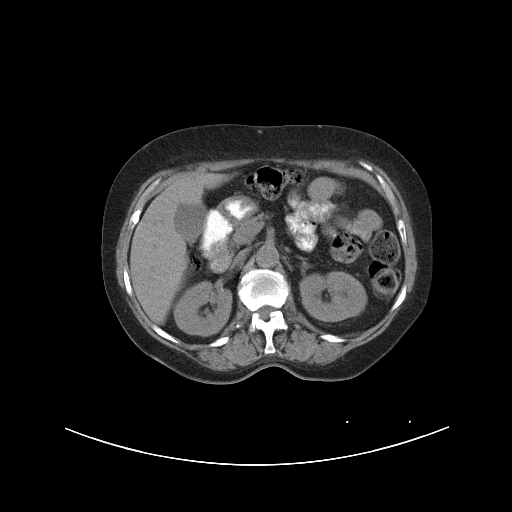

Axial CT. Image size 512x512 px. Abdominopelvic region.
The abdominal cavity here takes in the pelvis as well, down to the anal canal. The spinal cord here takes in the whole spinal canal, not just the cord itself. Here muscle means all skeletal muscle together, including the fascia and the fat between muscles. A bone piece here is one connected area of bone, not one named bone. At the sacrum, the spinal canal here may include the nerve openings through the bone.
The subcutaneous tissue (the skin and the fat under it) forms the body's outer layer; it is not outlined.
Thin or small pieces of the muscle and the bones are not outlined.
Outlines:
abdominal cavity: (259, 163) (354, 178) (385, 201) (394, 215) (402, 246) (403, 274) (392, 304) (367, 329) (334, 334) (315, 326) (297, 308) (285, 276) (269, 268) (254, 267) (240, 277) (235, 315) (221, 335) (208, 343) (182, 341) (142, 311) (128, 272) (128, 246) (145, 204) (179, 178)
bones 1: (254, 268) (269, 269) (281, 273) (284, 276) (289, 287) (289, 293) (281, 307) (287, 328) (274, 331) (272, 342) (275, 348) (275, 352) (273, 353) (266, 354) (264, 352) (266, 338) (261, 330) (249, 330) (251, 312) (239, 299) (237, 293) (241, 277) (249, 270), around a hole outlined by (265, 305) (267, 305) (268, 306) (271, 306) (272, 307) (273, 307) (275, 309) (273, 311) (272, 311) (269, 314) (269, 318) (267, 320) (264, 320) (263, 319) (260, 318) (260, 317) (259, 316) (259, 314) (257, 312) (257, 310) (259, 308) (260, 308) (262, 306) (264, 306)
bones 2: (158, 178) (160, 178) (160, 181) (159, 183) (146, 196) (144, 203) (142, 205) (142, 208) (141, 209) (141, 212) (139, 216) (139, 219) (133, 228) (132, 229) (130, 229) (129, 228) (129, 220) (132, 213) (136, 208) (137, 203) (140, 197) (146, 188) (152, 182)
bones 3: (375, 174) (379, 174) (381, 176) (381, 177) (384, 180) (384, 181) (387, 184) (387, 185) (393, 193) (396, 200) (396, 205) (398, 209) (398, 212) (396, 214) (394, 214) (392, 210) (392, 207) (390, 205) (386, 197) (385, 191) (383, 189) (379, 182) (376, 179) (375, 177)
bones 4: (403, 284) (404, 284) (406, 286) (406, 293) (405, 294) (405, 297) (404, 298) (403, 301) (395, 309) (394, 309) (392, 311) (390, 311) (390, 308) (394, 303) (394, 302) (395, 301) (395, 300) (396, 299) (396, 298) (397, 297) (397, 296) (398, 295) (398, 294) (399, 293)
bones 5: (152, 324) (155, 324) (158, 327) (161, 328) (164, 331) (165, 331) (173, 337) (176, 338) (179, 341) (179, 342) (178, 343) (175, 343) (174, 342) (173, 342) (172, 341) (171, 341) (170, 340) (161, 336) (159, 334) (158, 334) (152, 328) (152, 327) (151, 326) (151, 325)
bones 6: (400, 218) (402, 219) (404, 223) (404, 225) (405, 226) (405, 230) (406, 231) (406, 243) (404, 245) (402, 244) (402, 242) (400, 238) (400, 235) (399, 234) (399, 232) (397, 228) (397, 221) (398, 219)
bones 7: (126, 265) (127, 266) (127, 272) (129, 276) (129, 281) (131, 285) (131, 289) (132, 290) (132, 293) (133, 294) (132, 296) (130, 296) (127, 293) (126, 291) (126, 288) (125, 287) (125, 284) (124, 283) (124, 279) (123, 278) (123, 268)
bones 8: (325, 333) (329, 333) (330, 334) (333, 334) (334, 335) (337, 335) (338, 336) (340, 336) (344, 338) (345, 340) (344, 341) (341, 341) (340, 342) (332, 342) (331, 341) (328, 341) (327, 340) (322, 339) (320, 338) (319, 336)
bones 9: (223, 336) (228, 336) (229, 337) (229, 340) (226, 343) (225, 343) (224, 344) (223, 344) (222, 345) (220, 345) (219, 346) (209, 346) (208, 345) (208, 344) (209, 343) (210, 343) (211, 342) (212, 342) (214, 340) (215, 340) (217, 338) (218, 338) (219, 337) (222, 337)
bones 10: (359, 161) (362, 161) (363, 162) (364, 162) (365, 163) (366, 163) (367, 164) (368, 164) (369, 165) (370, 165) (371, 166) (371, 167) (372, 168) (372, 171) (369, 171) (367, 169) (366, 169) (363, 166) (362, 166) (359, 163)
torso: (216, 123) (333, 124) (358, 129) (393, 146) (423, 181) (432, 211) (433, 273) (428, 301) (393, 349) (360, 375) (341, 381) (316, 381) (270, 366) (236, 383) (202, 383) (146, 355) (120, 325) (104, 289) (101, 266) (102, 217) (110, 186) (124, 163) (154, 138) (185, 127)
muscle: (256, 156) (267, 156) (268, 157) (274, 156) (275, 157) (285, 157) (293, 159) (320, 159) (321, 158) (348, 159) (349, 158) (365, 158) (370, 161) (372, 161) (386, 172) (389, 177) (394, 182) (407, 208) (414, 235) (414, 240) (416, 246) (416, 258) (417, 259) (417, 269) (416, 270) (415, 280) (413, 288) (409, 294) (407, 300) (403, 304) (403, 306) (399, 310) (389, 325) (379, 335) (368, 342) (351, 349) (341, 357) (339, 357) (332, 362) (330, 362) (327, 364) (324, 365) (307, 364) (304, 362) (297, 362) (296, 361) (285, 360) (279, 357) (264, 357) (255, 361) (252, 364) (245, 366) (238, 366) (236, 369) (232, 369) (228, 371) (218, 371) (207, 368) (204, 366) (202, 366) (196, 361) (191, 359) (183, 353) (179, 352) (170, 347) (168, 347) (151, 336) (139, 323) (128, 306) (124, 295) (118, 284) (116, 276) (115, 252) (116, 251) (117, 241) (119, 237) (119, 233) (125, 219) (129, 206) (136, 192) (141, 184) (147, 178) (162, 168) (166, 168) (167, 167) (171, 167) (187, 163) (192, 163) (196, 161) (237, 159) (238, 158) (247, 158) (248, 157) (255, 157); inner edges: (259, 163) (360, 180) (391, 211) (375, 177) (381, 176) (396, 200) (395, 222) (402, 219) (406, 231) (401, 281) (406, 293) (395, 309) (367, 329) (338, 334) (345, 340) (332, 342) (320, 338) (328, 332) (297, 308) (290, 286) (281, 307) (287, 328) (274, 331) (275, 352) (267, 354) (264, 333) (249, 330) (251, 312) (239, 299) (221, 333) (229, 337) (222, 345) (175, 343) (152, 328) (123, 278) (129, 220) (140, 197) (158, 178) (145, 204) (179, 178), then (359, 161) (362, 161) (363, 162) (364, 162) (365, 163) (366, 163) (367, 164) (368, 164) (369, 165) (370, 165) (371, 166) (371, 167) (372, 168) (372, 171) (369, 171) (367, 169) (366, 169) (363, 166) (362, 166) (359, 163)
spinal cord: (265, 305) (267, 305) (268, 306) (271, 306) (272, 307) (273, 307) (275, 309) (273, 311) (272, 311) (269, 314) (269, 318) (267, 320) (264, 320) (263, 319) (260, 318) (260, 317) (259, 316) (259, 314) (257, 312) (257, 310) (259, 308) (260, 308) (262, 306) (264, 306)